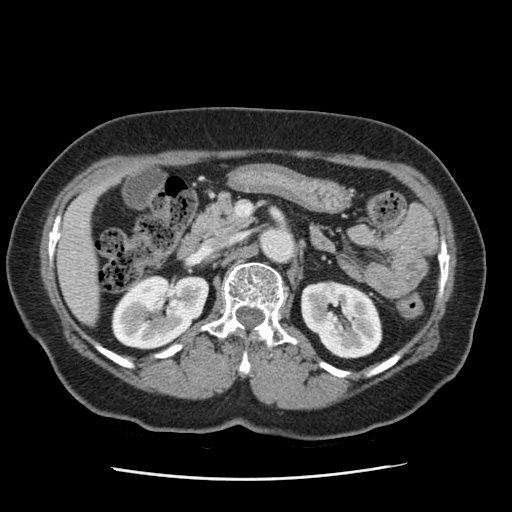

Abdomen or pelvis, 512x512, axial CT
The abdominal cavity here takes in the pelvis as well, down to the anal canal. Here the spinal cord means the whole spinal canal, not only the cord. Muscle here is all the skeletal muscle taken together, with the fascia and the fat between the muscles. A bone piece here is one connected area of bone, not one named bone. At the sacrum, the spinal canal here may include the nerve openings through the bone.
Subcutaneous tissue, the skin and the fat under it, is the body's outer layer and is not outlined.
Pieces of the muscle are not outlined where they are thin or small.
muscle: 252,148 274,148 275,149 286,149 287,150 304,149 305,150 319,150 326,152 355,153 364,155 368,158 372,159 402,162 416,168 427,177 441,194 443,198 452,223 454,239 457,248 453,290 447,303 445,313 439,322 440,341 437,348 430,355 426,358 421,359 417,362 403,368 395,373 391,377 380,381 349,398 344,399 340,402 323,409 308,411 307,410 282,410 275,407 270,407 261,403 253,394 247,379 244,380 239,380 238,379 221,395 217,396 216,395 205,400 185,400 184,399 176,399 163,395 155,395 138,389 122,381 89,359 80,355 76,350 70,346 64,337 62,331 62,326 60,323 60,319 51,304 46,290 44,288 40,275 40,257 39,256 39,244 42,235 43,226 48,214 48,210 50,208 55,197 63,187 76,174 89,165 92,161 94,161 103,156 111,154 156,153 160,151 170,149 220,150 221,149 251,149, around a hole outlined by 260,153 385,171 431,212 449,255 447,280 400,358 370,377 364,374 377,362 346,377 331,374 317,365 322,359 290,321 286,300 279,323 298,342 269,348 251,339 249,371 239,372 244,340 235,333 219,339 200,330 222,315 220,290 208,314 177,339 183,346 174,355 124,354 135,365 128,368 102,354 58,291 48,256 56,215 92,184 130,170
bones 1: 251,261 265,263 280,274 285,301 279,309 279,323 298,342 284,342 269,348 263,340 251,339 247,345 250,368 245,374 238,371 246,347 244,340 235,333 219,339 201,331 200,327 222,315 223,284 244,262, around a hole outlined by 242,306 247,306 250,308 257,308 259,309 263,313 264,315 264,318 263,320 260,323 254,326 251,329 247,329 247,328 243,324 242,324 237,319 236,317 236,311 240,307
bones 2: 441,235 444,236 445,242 446,243 446,247 447,248 447,252 449,255 449,268 448,269 448,275 447,276 447,280 445,283 443,295 440,298 438,296 439,278 440,277 438,253 440,250 440,236
bones 3: 94,341 96,342 98,342 104,347 124,357 126,357 128,358 135,365 135,367 134,368 128,368 127,367 124,367 123,366 121,366 113,362 110,359 109,359 103,354 102,354 94,346 94,344 93,343
bones 4: 400,349 403,349 403,353 401,355 400,358 392,366 391,366 389,368 386,369 384,371 376,375 374,375 370,377 365,377 364,376 364,374 366,372 367,372 369,370 373,368 378,363 390,357 394,353 395,353
bones 5: 58,213 60,213 61,215 61,219 60,220 60,223 58,228 59,235 55,244 55,250 53,254 53,263 52,265 50,265 49,263 49,257 48,256 48,241 49,240 49,236 48,234 52,229 55,217
bones 6: 319,360 323,360 327,363 333,366 335,366 338,368 340,368 344,370 348,370 352,372 350,375 346,377 339,377 338,376 333,375 329,372 326,371 324,369 319,367 317,365 317,362
bones 7: 174,343 181,343 183,345 182,348 174,355 173,355 172,356 169,356 168,357 164,357 163,358 155,358 154,357 153,357 151,355 154,353 159,352 160,351 165,349 167,347 168,347 170,345 171,345
abdominal cavity: 260,153 385,171 431,212 439,234 436,294 425,323 401,348 352,371 322,359 290,321 281,274 255,260 244,261 226,278 204,318 150,355 122,355 76,323 58,291 53,264 62,213 74,196 94,183 138,168
torso: 201,106 308,109 377,119 413,135 449,170 482,234 486,283 464,364 415,411 359,434 322,440 266,435 241,425 209,433 161,432 93,413 62,385 24,329 8,289 5,253 17,212 46,167 94,126 129,113
spinal cord: 242,306 247,306 250,308 257,308 259,309 263,313 264,315 264,318 263,320 260,323 254,326 251,329 247,329 247,328 243,324 242,324 237,319 236,317 236,311 240,307